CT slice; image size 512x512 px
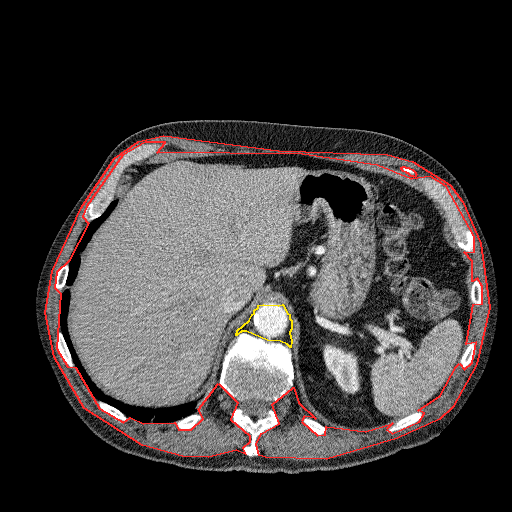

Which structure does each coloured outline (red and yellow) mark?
red: muscle; yellow: mediastinum.
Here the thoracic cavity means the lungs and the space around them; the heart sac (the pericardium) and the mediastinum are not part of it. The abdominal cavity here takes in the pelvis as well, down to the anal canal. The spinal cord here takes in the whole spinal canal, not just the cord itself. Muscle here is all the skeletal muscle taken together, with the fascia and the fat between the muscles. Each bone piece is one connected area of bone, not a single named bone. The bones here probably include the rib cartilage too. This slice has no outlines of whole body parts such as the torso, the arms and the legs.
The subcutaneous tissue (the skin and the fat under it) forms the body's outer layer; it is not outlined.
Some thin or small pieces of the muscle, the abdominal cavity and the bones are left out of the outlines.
Outlined structures:
muscle: (163, 135) (278, 150) (387, 154) (412, 161) (449, 184) (462, 201) (480, 243) (489, 307) (476, 364) (452, 407) (439, 419) (397, 438) (326, 459) (265, 457) (259, 455) (256, 444) (261, 433) (279, 423) (272, 404) (293, 387) (298, 402) (315, 418) (304, 416) (301, 421) (317, 435) (325, 434) (326, 426) (365, 431) (392, 423) (386, 429) (392, 433) (419, 421) (424, 413) (418, 410) (440, 395) (456, 366) (459, 363) (464, 369) (472, 362) (476, 342) (466, 344) (473, 304) (482, 303) (482, 286) (477, 278) (472, 281) (472, 261) (464, 252) (474, 251) (474, 236) (446, 186) (430, 176) (411, 179) (377, 165) (302, 154) (157, 152) (165, 142) (145, 142) (122, 155) (86, 206) (82, 216) (88, 223) (68, 261) (56, 272) (54, 287) (60, 293) (56, 348) (67, 366) (75, 367) (99, 408) (123, 422) (130, 417) (143, 423) (174, 422) (178, 429) (191, 429) (203, 418) (198, 409) (218, 383) (237, 402) (230, 419) (249, 435) (249, 442) (242, 448) (245, 454) (236, 450) (208, 457) (182, 456) (142, 445) (84, 408) (54, 357) (45, 312) (52, 271) (81, 207) (114, 158) (138, 141); inner edge: (403, 166) (404, 166) (405, 167) (408, 167) (409, 168) (412, 169) (415, 172) (415, 173) (416, 174) (415, 175) (415, 176) (414, 177) (413, 176) (411, 176) (408, 173) (407, 173) (406, 172) (403, 171) (401, 169) (401, 167) (402, 167)
mediastinum: (263, 304) (278, 305) (282, 304) (287, 313) (289, 314) (289, 318) (291, 320) (291, 329) (289, 332) (291, 341) (290, 347) (287, 344) (280, 341) (267, 340) (246, 331) (241, 331) (236, 335) (237, 330) (249, 320) (252, 314) (254, 313) (254, 310) (258, 307) (258, 305)
spinal cord: (249, 399) (259, 399) (260, 400) (263, 400) (264, 401) (269, 403) (269, 406) (267, 408) (267, 409) (266, 409) (260, 415) (259, 415) (258, 416) (250, 416) (248, 414) (245, 413) (244, 412) (243, 409) (241, 407) (241, 403) (243, 401) (244, 401) (245, 400) (248, 400)
abdominal cavity: (164, 152) (302, 155) (377, 166) (414, 181) (442, 208) (471, 261) (471, 326) (439, 395) (384, 426) (324, 424) (298, 400) (292, 320) (282, 303) (257, 305) (227, 346) (219, 376) (197, 400) (145, 407) (98, 388) (70, 339) (68, 287) (80, 253) (117, 203) (121, 176)
bones 1: (241, 332) (287, 345) (291, 351) (293, 364) (293, 386) (288, 393) (271, 404) (279, 418) (278, 423) (257, 436) (255, 444) (259, 454) (255, 456) (249, 456) (243, 451) (250, 442) (250, 435) (231, 419) (231, 413) (238, 402) (219, 385) (224, 354) (232, 340); inner edge: (249, 399) (259, 399) (260, 400) (263, 400) (264, 401) (269, 403) (269, 406) (267, 408) (267, 409) (266, 409) (260, 415) (259, 415) (258, 416) (250, 416) (248, 414) (245, 413) (244, 412) (243, 409) (241, 407) (241, 403) (243, 401) (244, 401) (245, 400) (248, 400)
bones 2: (145, 143) (165, 143) (165, 145) (158, 149) (152, 155) (137, 161) (127, 167) (120, 176) (117, 182) (113, 197) (103, 212) (99, 216) (91, 221) (89, 222) (85, 221) (83, 216) (83, 213) (85, 209) (92, 201) (96, 194) (104, 186) (116, 164) (123, 155) (133, 147)
bones 3: (420, 175) (435, 179) (449, 190) (456, 203) (459, 215) (466, 225) (466, 227) (470, 230) (473, 236) (474, 248) (472, 252) (466, 252) (458, 246) (454, 240) (454, 236) (451, 232) (450, 225) (448, 223) (443, 208) (433, 197) (429, 195) (418, 183) (413, 180) (417, 176)
bones 4: (416, 411) (421, 411) (423, 413) (423, 415) (422, 417) (419, 420) (399, 430) (395, 430) (392, 432) (389, 432) (387, 431) (387, 429) (394, 423) (395, 423) (399, 419) (401, 418) (403, 418) (411, 414) (413, 412) (415, 412)
bones 5: (60, 330) (63, 335) (63, 337) (65, 340) (66, 345) (70, 353) (70, 355) (71, 356) (72, 361) (74, 364) (74, 367) (72, 368) (69, 367) (68, 365) (64, 361) (61, 355) (59, 353) (59, 351) (57, 348) (57, 343) (56, 342) (56, 334) (57, 332)
bones 6: (194, 413) (199, 413) (202, 416) (202, 418) (200, 419) (194, 425) (193, 427) (191, 428) (189, 428) (188, 429) (181, 429) (180, 428) (178, 428) (176, 426) (176, 424) (175, 422) (177, 420) (179, 420) (184, 417) (186, 417)
bones 7: (471, 341) (473, 341) (475, 342) (475, 355) (473, 359) (471, 361) (471, 362) (466, 367) (464, 368) (462, 368) (459, 362) (460, 361) (461, 356) (464, 350) (466, 348) (468, 344)
bones 8: (98, 400) (101, 400) (102, 401) (103, 401) (104, 402) (113, 406) (115, 408) (116, 408) (118, 410) (119, 410) (127, 417) (127, 420) (126, 421) (123, 421) (120, 419) (117, 419) (116, 418) (109, 415) (107, 413) (106, 413) (100, 408) (100, 407) (97, 402) (97, 401)
bones 9: (66, 262) (68, 262) (69, 263) (69, 268) (68, 269) (68, 272) (67, 273) (67, 277) (65, 280) (65, 285) (62, 289) (62, 290) (60, 292) (57, 289) (56, 289) (56, 288) (55, 287) (55, 279) (56, 278) (56, 275) (57, 274) (57, 272) (58, 271) (59, 268)
bones 10: (304, 417) (308, 417) (309, 418) (311, 418) (314, 420) (316, 420) (318, 421) (321, 424) (322, 424) (327, 428) (327, 431) (325, 433) (323, 434) (321, 434) (320, 435) (319, 434) (317, 434) (313, 432) (311, 430) (310, 430) (308, 428) (308, 427) (302, 421) (302, 418)
bones 11: (474, 279) (477, 279) (479, 281) (479, 282) (480, 283) (480, 285) (481, 286) (481, 293) (482, 294) (482, 299) (481, 300) (481, 303) (480, 304) (480, 305) (479, 305) (478, 306) (475, 305) (473, 303) (473, 301) (470, 298) (470, 291) (472, 289) (472, 282)
thoracic cavity: (113, 200) (116, 201) (113, 209) (79, 253) (75, 277) (67, 287) (69, 339) (81, 366) (95, 386) (107, 396) (130, 406) (168, 408) (197, 401) (218, 378) (197, 411) (175, 421) (139, 421) (98, 399) (80, 377) (61, 330) (59, 301) (68, 277) (70, 256) (82, 231)